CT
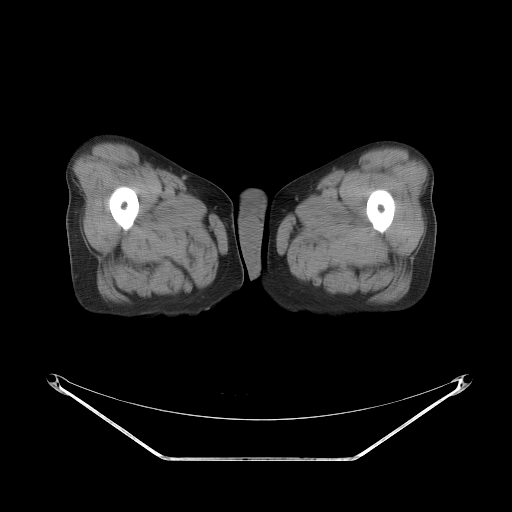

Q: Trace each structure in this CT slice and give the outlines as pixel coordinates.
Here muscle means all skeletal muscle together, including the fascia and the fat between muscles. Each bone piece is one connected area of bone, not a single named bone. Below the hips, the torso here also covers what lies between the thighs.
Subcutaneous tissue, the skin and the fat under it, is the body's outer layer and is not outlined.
A: Outlined structures:
right leg: 100,133 121,134 138,140 186,169 213,182 229,196 236,212 234,234 239,257 244,267 243,283 235,293 193,317 157,316 152,319 107,317 92,314 79,305 72,289 65,227 68,203 65,167 70,154 82,141
left leg: 380,139 400,140 417,147 427,156 434,170 432,201 436,215 437,233 432,275 427,292 415,305 394,316 362,313 353,316 332,317 316,315 309,312 290,312 281,309 262,289 270,199 284,185 295,178 353,148
muscle 1: 96,142 123,142 138,149 144,157 154,163 185,176 202,199 220,216 227,231 227,260 223,277 208,294 188,302 145,307 113,306 102,299 96,283 97,262 85,245 79,225 83,194 77,188 71,173 74,157; inner edge: 119,186 128,186 132,188 135,191 137,195 137,197 138,198 138,202 139,203 139,211 137,214 137,216 135,218 133,222 133,224 131,227 127,230 124,230 114,220 111,214 111,212 108,207 108,199 111,193
muscle 2: 385,146 410,149 428,168 427,184 422,195 427,218 426,230 423,241 414,258 412,277 407,293 393,303 373,305 358,301 350,295 329,294 294,284 289,279 276,250 276,233 280,217 327,171 369,148, around a hole outlined by 376,189 384,189 388,191 393,197 394,199 394,202 395,203 395,210 394,211 393,219 390,225 383,233 379,232 373,227 372,224 370,222 366,215 366,202 367,201 367,199 370,193 372,191
torso: 247,186 258,186 263,188 267,192 269,198 267,221 264,226 261,244 261,253 263,257 261,287 260,281 258,279 255,279 253,281 249,280 247,270 240,257 240,251 238,248 235,234 237,195 243,188
bones 1: 119,186 128,186 132,188 135,191 137,195 137,197 138,198 138,202 139,203 139,211 137,214 137,216 135,218 133,222 133,224 131,227 127,230 124,230 114,220 111,214 111,212 108,207 108,199 111,193
bones 2: 376,189 384,189 388,191 393,197 394,199 394,202 395,203 395,210 394,211 393,219 390,225 383,233 379,232 373,227 372,224 370,222 366,215 366,202 367,201 367,199 370,193 372,191